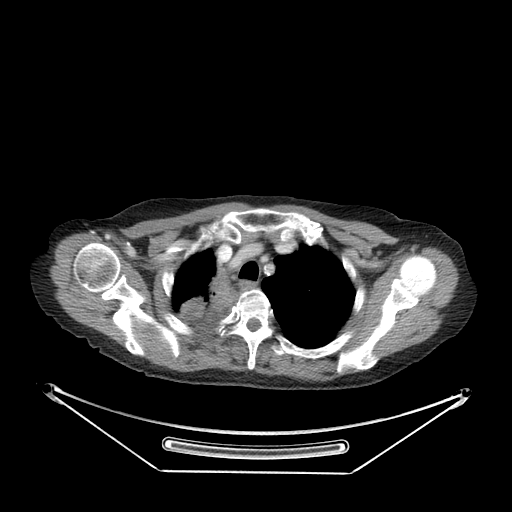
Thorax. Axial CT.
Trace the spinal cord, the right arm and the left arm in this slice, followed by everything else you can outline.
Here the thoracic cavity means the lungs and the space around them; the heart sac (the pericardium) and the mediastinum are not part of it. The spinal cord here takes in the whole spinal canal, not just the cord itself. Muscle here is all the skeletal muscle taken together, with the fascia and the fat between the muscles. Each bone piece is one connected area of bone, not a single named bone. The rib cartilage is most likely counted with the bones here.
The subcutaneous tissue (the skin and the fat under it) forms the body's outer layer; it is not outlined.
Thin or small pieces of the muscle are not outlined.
The spinal cord is outlined by 252,318 254,318 255,319 257,319 259,321 259,322 260,323 260,325 259,326 259,327 257,329 256,329 253,331 252,331 251,330 250,330 248,328 248,327 247,326 247,323 248,322 248,321 250,319 251,319. The right arm is outlined by 107,216 110,216 112,219 117,239 117,268 111,287 105,297 90,313 72,327 66,330 62,329 50,316 46,315 39,307 30,286 28,275 29,264 35,255 43,251 47,247 48,236 58,224 74,218 94,219. The left arm is outlined by 405,218 406,219 427,222 439,227 451,237 458,241 463,249 466,257 467,267 477,285 478,295 474,310 469,320 460,331 455,331 446,326 424,304 413,284 410,276 410,272 408,269 408,261 406,256. The thoracic cavity appears in 2 outlined pieces: piece 1: 302,244 308,246 318,245 339,259 355,290 351,312 338,334 327,343 310,348 295,344 274,329 273,326 275,326 276,320 274,310 268,297 261,288 262,281 272,276 276,271 275,258 279,255 288,255 297,251; piece 2: 208,248 213,252 216,275 223,284 225,284 236,296 238,296 235,302 230,307 229,312 218,319 216,323 208,327 198,327 189,324 183,319 179,318 178,311 173,307 172,291 175,281 175,274 182,263 192,255. The mediastinum is outlined by 242,230 248,233 279,231 279,238 284,242 292,240 296,234 300,234 305,243 302,243 297,250 291,253 277,255 273,260 274,273 261,281 260,288 252,287 236,295 217,275 216,260 210,247 221,241 240,243. The bones appear in 6 outlined pieces: piece 1: 416,254 433,263 435,283 416,305 396,313 368,369 337,372 339,351 318,358 278,355 272,336 257,346 250,370 245,340 215,332 239,295 259,288 277,333 310,349 354,328 340,349 351,350 379,323 401,264, around a hole outlined by 252,318 254,318 255,319 257,319 259,321 259,322 260,323 260,325 259,326 259,327 257,329 256,329 253,331 252,331 251,330 250,330 248,328 248,327 247,326 247,323 248,322 248,321 250,319 251,319; piece 2: 90,242 113,250 120,273 145,297 139,305 142,310 166,326 163,314 170,312 194,329 189,335 177,334 176,357 149,323 135,322 132,327 144,356 126,349 124,332 112,319 120,301 102,299 74,277 76,254; piece 3: 257,207 295,211 318,222 323,227 322,234 327,244 326,249 318,244 308,245 300,233 284,241 280,238 279,230 248,232 242,229 239,232 240,242 221,240 183,259 190,246 200,235 201,226 220,219 230,211; piece 4: 166,269 167,270 171,270 174,273 174,281 173,282 173,285 172,286 172,290 171,291 171,298 169,298 166,295 165,293 165,291 163,288 163,285 162,284 162,280 161,279 162,278 162,273 163,271; piece 5: 360,285 362,285 365,289 365,295 364,296 364,300 363,301 363,303 362,304 362,306 361,307 361,308 356,313 353,313 352,312 352,307 353,306 353,303 354,302 354,299 355,298 355,293 356,292 356,289; piece 6: 342,254 343,254 349,259 349,260 353,265 353,266 356,271 356,275 355,276 355,279 353,282 352,282 351,281 350,278 348,276 346,271 344,269 344,268 343,267 343,265 342,264 342,262 341,261 341,255. The muscle appears in 3 outlined pieces: piece 1: 225,202 303,205 340,219 368,222 402,238 402,243 437,247 459,273 455,295 442,310 444,321 418,344 379,360 373,352 397,313 416,306 436,283 431,259 412,254 392,279 370,334 353,348 341,350 356,330 339,332 351,313 362,308 366,295 362,284 354,287 354,265 343,253 340,259 327,249 318,221 295,210 257,206 230,210 201,225 176,272 162,271 162,288 178,313 165,311 166,325 141,308 146,297 128,283 111,247 90,241 77,251 72,262 76,282 102,300 119,301 111,319 123,332 123,347 69,316 54,297 48,268 57,243 73,233 117,231; piece 2: 135,323 151,325 159,339 168,344 174,358 180,354 178,334 189,336 195,331 192,326 208,328 215,324 214,332 220,337 237,335 244,340 249,371 209,368 183,372 151,363 140,357 146,353 135,337; piece 3: 272,337 274,341 270,344 270,348 278,356 290,354 306,359 318,359 339,352 335,368 337,373 342,374 348,369 361,371 344,374 327,381 314,382 284,375 269,376 255,373 252,371 256,366 258,346 264,340. The torso is outlined by 234,194 288,195 339,204 363,204 404,218 405,256 412,284 423,304 446,327 459,332 418,362 386,379 336,390 180,383 146,376 99,353 84,338 67,330 90,314 112,287 118,268 118,239 111,216 150,198.